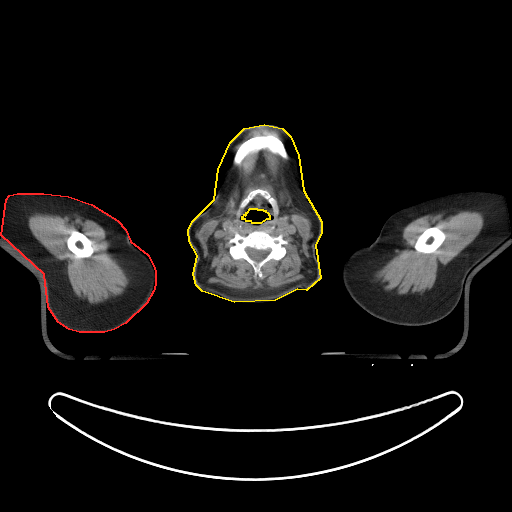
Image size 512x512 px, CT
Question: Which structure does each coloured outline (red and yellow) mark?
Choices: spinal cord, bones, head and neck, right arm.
Answer: red: right arm; yellow: head and neck.
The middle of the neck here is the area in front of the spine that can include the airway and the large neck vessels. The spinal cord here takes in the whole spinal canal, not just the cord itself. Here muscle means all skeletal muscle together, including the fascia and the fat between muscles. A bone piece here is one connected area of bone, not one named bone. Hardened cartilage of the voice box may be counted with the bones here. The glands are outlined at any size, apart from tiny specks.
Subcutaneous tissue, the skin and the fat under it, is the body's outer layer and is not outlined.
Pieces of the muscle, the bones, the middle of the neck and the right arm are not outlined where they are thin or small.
The right arm is outlined by (17, 193) (43, 193) (68, 196) (91, 204) (117, 220) (125, 229) (130, 241) (147, 254) (153, 265) (155, 271) (155, 284) (153, 291) (146, 303) (125, 323) (114, 329) (104, 332) (79, 332) (69, 329) (58, 322) (48, 307) (44, 274) (1, 235) (6, 199) (9, 195). The head and neck is outlined by (264, 124) (282, 128) (290, 136) (298, 155) (303, 190) (321, 221) (321, 232) (315, 245) (320, 278) (306, 290) (297, 289) (275, 300) (234, 302) (202, 291) (196, 285) (193, 274) (197, 255) (189, 241) (188, 230) (192, 221) (214, 199) (218, 169) (230, 142) (244, 128) with a hole at (250, 208) (256, 208) (257, 209) (262, 209) (263, 210) (265, 210) (265, 211) (267, 212) (269, 215) (269, 219) (266, 219) (260, 223) (252, 223) (251, 221) (246, 221) (245, 219) (242, 219) (242, 216) (243, 216) (244, 214) (245, 215) (246, 214) (246, 212) (247, 212). The middle of the neck is outlined by (264, 199) (270, 205) (270, 207) (272, 210) (273, 219) (272, 220) (267, 220) (261, 223) (266, 220) (269, 220) (270, 219) (270, 215) (265, 209) (263, 209) (262, 208) (257, 208) (256, 207) (251, 207) (249, 205) (249, 203) (250, 202) (255, 202) (258, 200) (263, 200). The left arm is outlined by (470, 190) (497, 192) (504, 196) (510, 235) (467, 273) (463, 295) (449, 314) (441, 319) (390, 323) (368, 313) (352, 299) (342, 280) (342, 266) (344, 261) (353, 250) (361, 246) (369, 245) (378, 236) (383, 224) (390, 215) (400, 209) (431, 198) (449, 193). The bones appear in 5 outlined pieces: piece 1: (235, 230) (244, 236) (253, 230) (265, 230) (273, 236) (281, 234) (287, 241) (284, 245) (286, 250) (285, 255) (279, 260) (270, 259) (267, 261) (261, 267) (263, 277) (260, 278) (255, 275) (252, 266) (245, 259) (234, 259) (229, 253) (230, 244) (228, 242) (234, 235), around a hole outlined by (247, 248) (254, 248) (257, 250) (266, 250) (267, 249) (269, 249) (269, 252) (267, 254) (267, 255) (263, 259) (262, 259) (259, 261) (256, 261) (255, 260) (254, 260) (253, 259) (252, 259) (248, 255) (248, 254) (247, 253) (247, 251) (246, 250) (247, 249); piece 2: (265, 130) (274, 132) (283, 142) (288, 154) (288, 158) (285, 159) (281, 157) (278, 154) (272, 153) (267, 149) (261, 149) (255, 153) (252, 153) (246, 156) (240, 164) (235, 165) (232, 160) (233, 159) (233, 156) (240, 144) (255, 135) (258, 134) (261, 135) (263, 134); piece 3: (436, 225) (438, 225) (439, 227) (445, 233) (445, 238) (443, 242) (440, 245) (440, 246) (435, 251) (433, 252) (431, 252) (430, 253) (423, 253) (422, 252) (418, 252) (416, 251) (416, 250) (414, 248) (414, 244) (418, 236) (426, 228) (428, 228) (429, 227) (432, 227); piece 4: (72, 229) (75, 229) (81, 232) (92, 241) (93, 243) (93, 245) (95, 247) (95, 250) (94, 252) (90, 256) (88, 257) (83, 257) (82, 258) (77, 258) (75, 257) (74, 254) (68, 248) (67, 246) (67, 243) (66, 242) (66, 240) (70, 234) (70, 230); piece 5: (255, 189) (266, 190) (269, 194) (275, 199) (277, 204) (277, 214) (274, 218) (273, 210) (271, 207) (271, 205) (259, 194) (257, 194) (248, 203) (248, 204) (241, 210) (240, 212) (240, 216) (237, 217) (237, 213) (239, 210) (239, 206) (241, 201) (247, 196) (250, 191). The submandibular glands are outlined by (230, 201) (233, 201) (233, 202) (234, 203) (234, 206) (233, 207) (233, 209) (232, 210) (232, 211) (228, 211) (228, 204) (230, 202). The spinal cord is outlined by (247, 248) (254, 248) (257, 250) (266, 250) (267, 249) (269, 249) (269, 252) (267, 254) (267, 255) (263, 259) (262, 259) (259, 261) (256, 261) (255, 260) (254, 260) (253, 259) (252, 259) (248, 255) (248, 254) (247, 253) (247, 251) (246, 250) (247, 249). The muscle appears in 4 outlined pieces: piece 1: (261, 150) (267, 150) (285, 160) (288, 159) (288, 163) (285, 169) (288, 187) (293, 196) (293, 200) (298, 206) (309, 214) (312, 223) (311, 230) (313, 233) (308, 242) (310, 271) (305, 276) (305, 278) (275, 289) (260, 288) (249, 290) (235, 290) (208, 283) (204, 276) (203, 250) (195, 235) (196, 230) (200, 227) (204, 220) (215, 213) (219, 204) (227, 197) (234, 180) (231, 167) (232, 163) (235, 166) (238, 166) (246, 157) (255, 154), around holes outlined by (235, 230) (244, 236) (253, 230) (265, 230) (273, 236) (281, 234) (287, 241) (284, 245) (286, 250) (285, 255) (279, 260) (270, 259) (267, 261) (261, 267) (263, 277) (260, 278) (255, 275) (252, 266) (245, 259) (234, 259) (229, 253) (230, 244) (228, 242) (234, 235) and by (255, 189) (262, 189) (263, 190) (266, 190) (269, 193) (269, 194) (275, 199) (277, 204) (277, 214) (272, 220) (267, 220) (260, 224) (253, 224) (249, 222) (246, 222) (242, 220) (239, 217) (237, 217) (237, 213) (239, 210) (239, 206) (241, 201) (247, 196) (250, 191) and by (230, 201) (233, 201) (233, 202) (234, 203) (234, 206) (233, 207) (233, 209) (232, 210) (232, 211) (228, 211) (228, 204) (230, 202); piece 2: (34, 212) (59, 215) (76, 213) (101, 225) (106, 231) (106, 237) (111, 242) (109, 250) (119, 260) (131, 279) (125, 291) (120, 295) (98, 304) (90, 304) (77, 298) (72, 291) (68, 278) (62, 270) (60, 263) (54, 260) (54, 257) (32, 234) (27, 220) (28, 216) with a hole at (72, 229) (75, 229) (81, 232) (92, 241) (93, 243) (93, 245) (95, 247) (95, 250) (94, 252) (90, 256) (88, 257) (83, 257) (82, 258) (77, 258) (75, 257) (74, 254) (68, 248) (67, 246) (67, 243) (66, 242) (66, 240) (70, 234) (70, 230); piece 3: (461, 210) (481, 212) (484, 217) (483, 227) (471, 243) (439, 269) (435, 283) (431, 289) (420, 295) (397, 295) (393, 291) (384, 290) (380, 282) (373, 279) (373, 274) (393, 256) (396, 249) (402, 247) (402, 230) (409, 222) (426, 214) (443, 212) (446, 216) (455, 214); inner edge: (436, 225) (438, 225) (439, 227) (445, 233) (445, 238) (443, 242) (440, 245) (440, 246) (435, 251) (433, 252) (431, 252) (430, 253) (423, 253) (422, 252) (418, 252) (416, 251) (416, 250) (414, 248) (414, 244) (418, 236) (426, 228) (428, 228) (429, 227) (432, 227); piece 4: (257, 129) (270, 129) (271, 130) (275, 130) (280, 134) (282, 138) (282, 140) (274, 131) (265, 129) (263, 131) (263, 133) (261, 134) (259, 133) (255, 134) (241, 142) (237, 147) (236, 150) (234, 151) (235, 146) (243, 139) (244, 136) (248, 132) (252, 130) (256, 130).